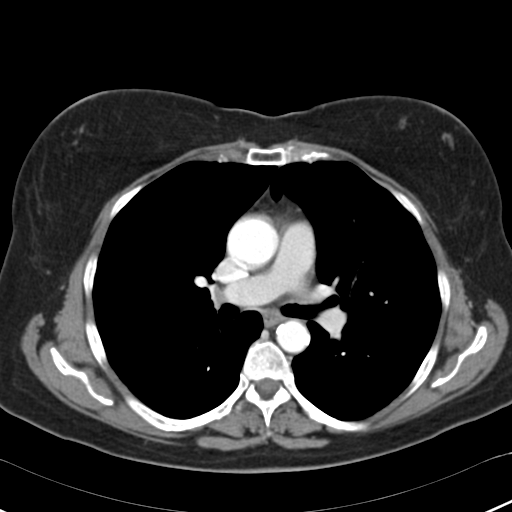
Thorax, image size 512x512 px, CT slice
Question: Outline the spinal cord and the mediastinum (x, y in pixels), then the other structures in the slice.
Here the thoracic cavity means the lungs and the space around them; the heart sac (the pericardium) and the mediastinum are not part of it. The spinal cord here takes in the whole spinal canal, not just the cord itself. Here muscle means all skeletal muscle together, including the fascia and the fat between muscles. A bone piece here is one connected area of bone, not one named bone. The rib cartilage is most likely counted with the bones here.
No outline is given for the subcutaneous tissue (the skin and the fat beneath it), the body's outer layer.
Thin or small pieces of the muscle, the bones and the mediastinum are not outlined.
Answer: {"spinal_cord":[[[265,378],[268,378],[269,379],[271,379],[274,381],[276,381],[278,384],[277,385],[277,389],[276,390],[276,391],[269,398],[264,398],[263,397],[262,397],[260,395],[260,394],[257,391],[257,390],[256,389],[256,386],[257,385],[258,382]]],"mediastinum":[[[232,226],[228,235],[228,250],[231,257],[273,289],[285,291],[308,281],[313,275],[316,251],[315,273],[327,296],[319,306],[319,319],[307,321],[309,344],[291,361],[272,340],[259,338],[263,320],[257,311],[238,313],[216,292],[214,270],[224,257],[228,232]],[[269,184],[269,192],[270,195],[275,201],[277,201],[281,196],[284,194],[289,199],[296,203],[299,207],[288,199],[283,198],[277,205],[269,205],[264,207],[260,207],[257,209],[247,212],[244,215],[242,215],[242,214],[243,214],[261,195]]],"bones":[{"outer":[[258,339],[272,341],[283,352],[304,397],[339,420],[368,421],[363,430],[315,421],[292,398],[272,412],[269,436],[261,410],[246,400],[240,409],[201,426],[165,431],[143,419],[123,397],[121,390],[128,392],[175,419],[205,413],[237,387],[248,348]],"hole":[[265,378],[268,378],[269,379],[271,379],[274,381],[276,381],[278,384],[277,385],[277,389],[276,390],[276,391],[269,398],[264,398],[263,397],[262,397],[260,395],[260,394],[257,391],[257,390],[256,389],[256,386],[257,385],[258,382]]},[[289,145],[309,150],[324,151],[335,159],[319,159],[313,161],[309,158],[307,162],[295,161],[280,166],[265,164],[253,165],[232,160],[226,161],[220,156],[218,156],[216,160],[220,152],[226,153],[230,150],[237,150],[244,153],[251,147],[284,148]],[[51,347],[56,348],[61,355],[74,368],[83,371],[86,374],[94,391],[106,398],[109,398],[113,400],[113,404],[112,405],[105,405],[101,403],[89,393],[86,386],[79,378],[73,375],[64,375],[61,373],[56,367],[52,359],[50,353],[50,348]],[[481,325],[485,326],[487,330],[487,338],[483,346],[477,352],[467,355],[461,362],[457,372],[449,380],[436,387],[431,387],[430,384],[434,380],[439,377],[442,377],[447,375],[454,368],[457,362],[457,359],[459,354],[471,343],[475,336],[478,327]],[[436,339],[438,339],[439,341],[439,350],[437,354],[436,360],[430,372],[428,374],[428,375],[426,377],[424,381],[409,396],[408,396],[404,399],[402,399],[402,396],[406,391],[410,382],[412,380],[417,370],[422,363],[425,356],[430,349],[434,340]],[[88,317],[90,317],[94,320],[97,330],[98,331],[98,333],[99,334],[99,336],[101,339],[101,341],[106,354],[106,357],[108,361],[108,367],[106,371],[100,366],[90,348],[90,346],[87,339],[86,332],[85,331],[85,322],[86,321],[86,319]],[[94,253],[97,254],[97,263],[96,264],[96,268],[95,269],[95,274],[93,278],[93,287],[92,288],[92,291],[91,292],[91,298],[88,299],[86,297],[85,291],[84,290],[84,284],[83,283],[83,276],[84,275],[85,265],[89,257]],[[438,268],[440,268],[446,273],[447,277],[448,278],[448,280],[449,281],[449,286],[450,287],[450,296],[449,297],[449,305],[446,311],[443,310],[442,308],[442,305],[441,304],[441,300],[440,299],[439,287],[438,286],[438,279],[437,278],[437,269]],[[140,184],[143,184],[144,186],[141,189],[140,189],[139,191],[132,197],[132,198],[113,217],[113,218],[111,220],[109,220],[109,214],[110,213],[110,211],[112,208],[112,206],[114,204],[116,200],[122,194],[123,194],[125,192],[132,189],[134,187]],[[389,188],[392,188],[395,190],[397,190],[398,191],[403,193],[415,205],[415,206],[417,208],[417,209],[422,218],[422,220],[423,221],[423,224],[421,226],[419,224],[419,223],[418,222],[418,221],[416,219],[416,218],[400,203],[400,202],[389,190]]],"pericardium":[[[283,199],[288,200],[298,207],[303,216],[309,222],[313,231],[315,249],[313,259],[313,271],[311,277],[308,280],[295,284],[285,290],[270,287],[260,279],[250,274],[236,263],[229,250],[230,232],[235,223],[242,216],[260,208],[269,206],[277,206]]],"thoracic_cavity":[[[197,160],[347,161],[415,218],[441,311],[414,375],[386,405],[343,420],[298,389],[291,362],[328,294],[311,223],[269,183],[228,230],[213,270],[221,302],[262,320],[236,387],[211,409],[175,418],[122,381],[94,314],[104,238],[140,190]]],"muscle":[{"outer":[[238,139],[261,147],[251,146],[244,152],[230,149],[220,151],[215,159],[186,161],[146,185],[140,183],[122,193],[109,211],[110,222],[98,255],[92,253],[84,265],[83,290],[85,297],[92,299],[94,315],[84,322],[89,348],[99,366],[106,372],[109,364],[127,387],[130,392],[121,389],[122,397],[137,415],[159,430],[182,432],[238,411],[246,401],[260,410],[269,437],[273,412],[293,399],[311,420],[336,430],[357,432],[369,426],[364,419],[406,388],[401,399],[409,397],[431,372],[440,350],[439,339],[434,339],[442,309],[446,312],[450,305],[451,287],[447,273],[436,266],[418,208],[403,192],[387,189],[357,165],[336,159],[327,151],[294,144],[267,147],[291,139],[345,150],[419,199],[449,259],[460,270],[474,315],[488,298],[505,311],[507,340],[491,371],[470,390],[418,417],[379,431],[334,435],[322,447],[298,449],[284,448],[270,440],[234,450],[146,440],[57,398],[28,366],[20,347],[21,336],[38,312],[43,313],[48,327],[54,325],[70,272],[104,204],[138,177],[189,150]],"holes":[[[51,347],[56,348],[61,355],[74,368],[83,371],[86,374],[94,391],[106,398],[109,398],[113,400],[113,404],[112,405],[105,405],[101,403],[89,393],[86,386],[79,378],[73,375],[64,375],[61,373],[56,367],[52,359],[50,353],[50,348]],[[481,325],[485,326],[487,330],[487,338],[483,346],[477,352],[467,355],[461,362],[457,372],[449,380],[436,387],[431,387],[430,384],[434,380],[439,377],[442,377],[447,375],[454,368],[457,362],[457,359],[459,354],[471,343],[475,336],[478,327]]]}],"torso":[[[124,87],[171,90],[268,115],[366,94],[420,98],[455,114],[485,150],[502,198],[503,225],[511,246],[511,404],[380,456],[319,469],[265,473],[196,471],[134,461],[60,438],[0,408],[0,268],[11,235],[18,171],[38,134],[65,107],[92,93]]]}